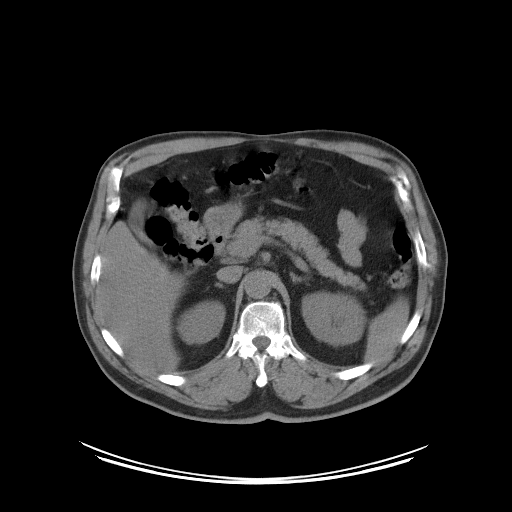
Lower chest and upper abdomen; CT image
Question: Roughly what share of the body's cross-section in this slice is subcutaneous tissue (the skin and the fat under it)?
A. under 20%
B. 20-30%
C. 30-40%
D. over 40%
Answer: A. under 20%
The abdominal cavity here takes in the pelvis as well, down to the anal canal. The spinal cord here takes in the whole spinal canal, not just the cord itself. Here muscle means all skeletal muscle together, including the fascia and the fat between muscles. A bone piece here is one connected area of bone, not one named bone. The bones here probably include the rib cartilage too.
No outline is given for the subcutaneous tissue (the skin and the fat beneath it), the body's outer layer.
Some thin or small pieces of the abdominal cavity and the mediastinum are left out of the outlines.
The spinal cord is outlined by (258, 336) (264, 336) (265, 337) (267, 337) (269, 339) (269, 340) (270, 341) (269, 342) (269, 343) (268, 344) (268, 345) (263, 350) (259, 350) (258, 349) (258, 348) (253, 343) (253, 339) (254, 338) (255, 338) (256, 337) (257, 337). The muscle is outlined by (188, 137) (346, 140) (380, 148) (402, 160) (416, 179) (438, 254) (425, 336) (412, 358) (352, 395) (323, 407) (295, 407) (271, 388) (261, 388) (268, 383) (265, 365) (269, 358) (280, 360) (292, 356) (302, 362) (308, 359) (291, 336) (304, 352) (317, 360) (349, 367) (331, 374) (339, 380) (351, 380) (366, 373) (374, 365) (373, 360) (397, 342) (403, 345) (414, 333) (422, 316) (422, 311) (416, 309) (419, 266) (425, 270) (431, 265) (420, 231) (416, 229) (412, 235) (398, 201) (405, 209) (412, 208) (411, 184) (401, 167) (390, 177) (382, 169) (336, 151) (252, 140) (178, 153) (124, 177) (129, 155) (112, 166) (107, 175) (105, 197) (105, 217) (111, 221) (103, 236) (101, 255) (96, 253) (92, 259) (89, 280) (92, 285) (97, 284) (97, 302) (105, 326) (100, 333) (119, 357) (126, 354) (156, 373) (160, 382) (178, 387) (187, 380) (180, 373) (205, 365) (228, 344) (224, 357) (228, 359) (237, 354) (243, 360) (250, 358) (258, 371) (254, 383) (259, 388) (224, 410) (204, 409) (145, 387) (112, 366) (89, 332) (82, 287) (82, 252) (99, 181) (107, 165) (125, 152). The torso is outlined by (315, 128) (369, 134) (401, 150) (417, 168) (442, 227) (448, 255) (444, 307) (430, 349) (413, 378) (393, 395) (368, 407) (299, 423) (270, 419) (250, 424) (196, 421) (123, 392) (100, 369) (82, 336) (72, 289) (75, 242) (101, 164) (122, 145) (160, 132) (267, 134). The mediastinum is outlined by (256, 274) (265, 274) (269, 276) (271, 281) (273, 283) (273, 285) (275, 286) (275, 288) (279, 293) (279, 297) (280, 298) (279, 301) (278, 300) (264, 300) (263, 299) (254, 300) (247, 303) (244, 301) (244, 291) (246, 287) (246, 283) (252, 276) (254, 276). The abdominal cavity is outlined by (252, 141) (336, 152) (389, 176) (412, 236) (418, 280) (415, 309) (383, 355) (344, 366) (304, 351) (286, 330) (280, 293) (265, 273) (245, 283) (245, 304) (229, 346) (195, 369) (152, 371) (125, 353) (106, 327) (98, 282) (104, 236) (121, 204) (121, 179) (178, 154). The bones appear in 9 outlined pieces: piece 1: (260, 300) (278, 301) (280, 303) (285, 316) (285, 330) (296, 348) (307, 357) (305, 361) (292, 355) (280, 359) (269, 357) (264, 365) (267, 383) (262, 387) (255, 383) (259, 371) (250, 357) (243, 359) (237, 353) (228, 358) (225, 357) (238, 327) (242, 309) (246, 304); inner edge: (258, 336) (264, 336) (265, 337) (267, 337) (269, 339) (269, 340) (270, 341) (269, 342) (269, 343) (268, 344) (268, 345) (263, 350) (259, 350) (258, 349) (258, 348) (253, 343) (253, 339) (254, 338) (255, 338) (256, 337) (257, 337); piece 2: (129, 156) (130, 158) (123, 165) (123, 171) (122, 172) (122, 175) (119, 182) (119, 191) (118, 192) (118, 195) (120, 199) (120, 204) (115, 215) (112, 218) (112, 219) (108, 219) (106, 217) (106, 197) (107, 196) (107, 182) (108, 181) (108, 175) (112, 167) (120, 164); piece 3: (398, 167) (401, 168) (404, 171) (410, 184) (410, 187) (408, 190) (409, 191) (409, 198) (411, 202) (411, 208) (409, 209) (405, 208) (403, 206) (403, 203) (398, 196) (398, 194) (396, 190) (396, 187) (391, 179) (391, 177) (392, 176) (395, 176) (398, 173); piece 4: (372, 361) (374, 363) (373, 365) (366, 372) (361, 375) (359, 375) (351, 379) (342, 380) (341, 379) (339, 379) (337, 377) (335, 377) (332, 374) (336, 371) (343, 370) (350, 367) (353, 367) (360, 364) (363, 364) (364, 363) (366, 363) (367, 362) (371, 362); piece 5: (416, 230) (418, 230) (421, 235) (421, 237) (423, 240) (424, 246) (425, 247) (425, 251) (426, 252) (426, 260) (430, 265) (429, 267) (427, 267) (425, 269) (424, 269) (418, 264) (418, 261) (417, 260) (416, 250) (415, 249) (415, 246) (413, 241) (413, 236) (415, 234); piece 6: (415, 310) (420, 310) (421, 311) (421, 316) (420, 317) (419, 322) (416, 328) (414, 330) (413, 333) (410, 336) (410, 337) (403, 344) (401, 344) (399, 343) (399, 340) (400, 339) (400, 337) (402, 335) (404, 330) (406, 328) (408, 323) (410, 321) (410, 319) (412, 317); piece 7: (102, 328) (106, 328) (109, 331) (109, 332) (113, 336) (113, 337) (119, 344) (119, 345) (123, 350) (123, 352) (124, 353) (124, 355) (122, 357) (119, 356) (115, 352) (114, 352) (112, 350) (112, 349) (107, 344) (107, 343) (105, 341) (105, 340) (101, 333) (101, 329); piece 8: (158, 374) (177, 374) (178, 375) (181, 375) (182, 376) (183, 376) (186, 380) (185, 381) (185, 382) (181, 385) (179, 385) (178, 386) (176, 386) (175, 385) (171, 385) (170, 384) (168, 384) (167, 383) (162, 382) (158, 379) (157, 379) (157, 376) (158, 375); piece 9: (96, 254) (99, 254) (101, 257) (101, 265) (100, 266) (100, 274) (99, 275) (99, 279) (98, 280) (97, 283) (96, 283) (95, 284) (92, 284) (91, 283) (91, 281) (90, 280) (90, 272) (91, 271) (91, 266) (92, 265) (92, 262) (93, 261) (93, 259).